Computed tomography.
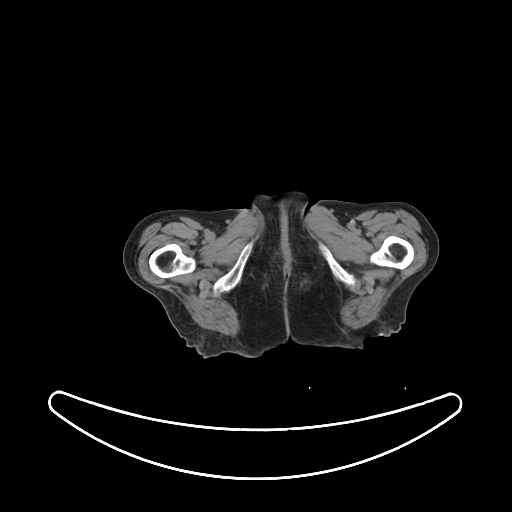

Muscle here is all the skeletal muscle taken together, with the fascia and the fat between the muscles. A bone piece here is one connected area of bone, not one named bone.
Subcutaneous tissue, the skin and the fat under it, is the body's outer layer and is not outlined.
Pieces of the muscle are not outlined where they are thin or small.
Outlines:
muscle 1: 251 210; 260 210; 262 214; 261 235; 254 247; 253 239; 244 245; 233 265; 211 286; 214 293; 233 290; 229 301; 241 326; 236 337; 202 329; 173 294; 155 287; 139 274; 135 266; 137 246; 143 230; 150 224; 174 215; 219 221, around a hole outlined by 168 243; 176 243; 178 244; 180 246; 182 251; 187 256; 194 258; 195 260; 195 268; 193 271; 189 273; 179 274; 168 278; 163 278; 162 277; 160 277; 151 271; 149 267; 149 263; 148 262; 149 256; 154 250
muscle 2: 322 207; 332 209; 335 215; 369 209; 403 209; 416 218; 428 245; 426 263; 392 293; 379 317; 347 333; 340 329; 341 291; 330 270; 335 278; 347 286; 354 286; 357 280; 322 241; 318 241; 317 247; 309 234; 306 218; 315 209; inner edge: 389 235; 395 235; 401 238; 406 239; 410 242; 413 247; 413 249; 414 250; 413 259; 412 261; 403 269; 398 269; 394 267; 388 267; 387 266; 380 266; 379 265; 374 264; 370 261; 370 255; 373 252; 376 251; 380 247; 383 240
torso: 287 190; 307 193; 311 203; 337 199; 415 206; 439 239; 433 269; 412 293; 400 330; 368 339; 364 350; 301 345; 289 339; 259 357; 227 352; 202 357; 185 344; 161 303; 127 275; 122 251; 128 235; 156 211; 243 208; 254 194
bones 1: 168 243; 176 243; 178 244; 180 246; 182 251; 187 256; 194 258; 195 260; 195 268; 193 271; 189 273; 179 274; 168 278; 163 278; 162 277; 160 277; 151 271; 149 267; 149 263; 148 262; 149 256; 154 250
bones 2: 389 235; 395 235; 401 238; 406 239; 410 242; 413 247; 413 249; 414 250; 413 259; 412 261; 403 269; 398 269; 394 267; 388 267; 387 266; 380 266; 379 265; 374 264; 370 261; 370 255; 373 252; 376 251; 380 247; 383 240
bones 3: 251 240; 253 240; 254 241; 253 247; 244 266; 244 268; 242 272; 242 275; 239 282; 233 289; 228 292; 220 292; 219 291; 214 292; 212 288; 212 286; 214 282; 218 278; 225 274; 234 265; 242 249; 245 246; 245 245
bones 4: 319 241; 322 242; 329 249; 333 257; 338 262; 338 263; 349 273; 352 274; 354 276; 356 280; 355 281; 354 285; 347 285; 343 282; 340 281; 333 275; 328 265; 328 263; 326 261; 325 258; 323 256; 322 253; 318 247; 318 243